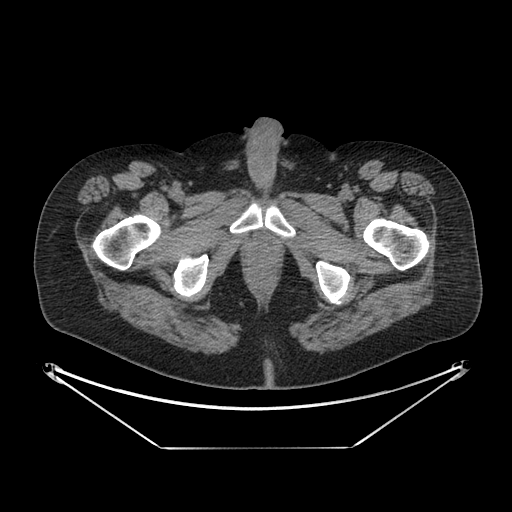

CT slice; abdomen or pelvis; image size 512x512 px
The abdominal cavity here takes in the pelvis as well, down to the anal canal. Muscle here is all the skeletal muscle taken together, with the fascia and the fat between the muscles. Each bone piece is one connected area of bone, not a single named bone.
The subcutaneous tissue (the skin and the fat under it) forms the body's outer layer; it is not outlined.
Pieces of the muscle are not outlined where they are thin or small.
The abdominal cavity is outlined by 254,230 261,230 265,232 270,231 274,233 278,237 280,241 280,247 281,248 280,267 277,277 268,295 265,299 262,300 258,297 252,288 252,286 250,285 245,266 245,253 247,247 247,235 250,231 253,231. The muscle is outlined by 371,159 401,164 420,173 435,190 434,299 416,313 341,349 322,354 307,351 289,327 316,311 317,294 288,252 267,311 259,308 244,282 237,252 214,280 207,295 209,311 241,328 237,345 220,354 207,355 168,343 108,312 98,301 96,284 76,241 77,195 89,177 111,164 141,160 160,166 193,194 244,188 257,197 273,197 284,191 329,194; inner edges: 252,202 259,204 263,213 271,204 277,206 286,220 294,227 296,233 292,238 277,236 280,241 281,248 280,267 273,286 265,299 262,300 250,285 245,266 247,235 249,232 231,233 229,231 230,224 238,218, then 135,214 143,214 153,219 159,224 161,228 161,233 159,237 151,245 139,251 135,255 131,265 126,270 121,271 116,268 109,266 103,262 97,256 94,251 92,247 92,242 96,235 102,230 110,227 128,216, then 380,217 413,228 418,228 422,230 426,234 427,238 429,241 429,248 425,256 416,265 403,271 398,270 393,266 389,259 386,256 373,249 364,241 362,236 362,233 364,228 371,220, then 204,253 207,254 209,260 207,266 206,280 204,285 197,293 191,296 184,296 181,295 178,293 173,287 173,283 174,282 173,279 173,272 177,265 178,260 183,256 188,255 192,257 197,257, then 318,260 323,260 335,265 339,265 343,267 350,275 350,279 347,286 347,290 345,295 341,299 342,301 341,304 338,305 337,304 330,303 327,300 324,294 322,292 318,282 317,273 315,268 315,264. The torso is outlined by 262,115 277,119 284,137 305,134 330,149 353,140 400,142 452,170 470,203 482,275 480,311 465,333 325,385 230,390 159,375 46,322 33,273 35,234 49,192 73,164 123,144 181,151 216,133 240,132. The bones appear in 5 outlined pieces: piece 1: 135,214 143,214 153,219 159,224 161,228 161,233 159,237 151,245 139,251 135,255 131,265 126,270 121,271 116,268 109,266 103,262 97,256 94,251 92,247 92,242 96,235 102,230 110,227 128,216; piece 2: 380,217 413,228 418,228 422,230 426,234 427,238 429,241 429,248 425,256 416,265 403,271 398,270 393,266 389,259 386,256 373,249 364,241 362,236 362,233 364,228 371,220; piece 3: 252,202 256,202 259,204 262,208 262,212 263,213 265,209 271,204 274,204 277,206 286,220 294,227 296,233 295,236 292,238 281,237 264,226 258,229 254,229 242,233 231,233 229,231 230,224 238,218; piece 4: 204,253 207,254 209,260 207,266 206,280 204,285 197,293 191,296 184,296 181,295 178,293 173,287 173,283 174,282 173,279 173,272 177,265 178,260 183,256 188,255 192,257 197,257; piece 5: 318,260 323,260 335,265 339,265 343,267 350,275 350,279 347,286 347,290 345,295 341,299 342,301 341,304 338,305 337,304 330,303 327,300 324,294 322,292 318,282 317,273 315,268 315,264.